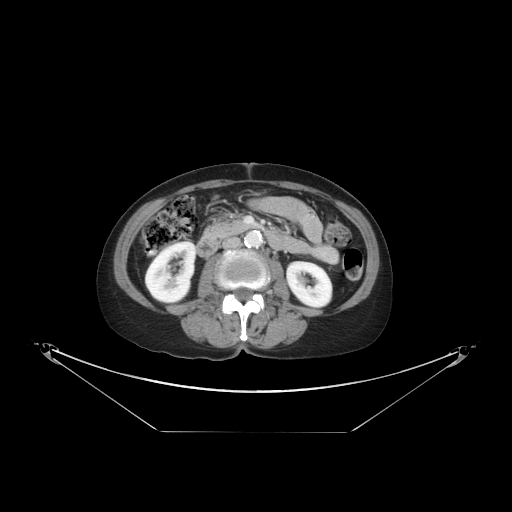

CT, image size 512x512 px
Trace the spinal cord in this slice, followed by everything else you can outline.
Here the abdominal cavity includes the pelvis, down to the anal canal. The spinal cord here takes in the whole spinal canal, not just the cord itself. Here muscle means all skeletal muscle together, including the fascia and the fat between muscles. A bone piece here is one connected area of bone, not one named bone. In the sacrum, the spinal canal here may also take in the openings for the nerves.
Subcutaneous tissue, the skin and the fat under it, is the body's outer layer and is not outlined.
spinal cord: 239,287 244,287 245,288 248,288 249,289 251,289 252,290 253,290 254,291 254,292 251,296 251,298 248,300 246,300 244,302 242,302 238,299 237,299 234,295 234,294 232,292 232,291
bones: 235,249 259,253 266,259 270,273 270,281 259,291 263,297 264,308 257,313 249,314 245,329 247,339 244,341 240,339 239,314 236,311 229,314 222,312 222,301 226,291 216,282 215,277 217,260 224,251 with a hole at 239,287 244,287 245,288 248,288 249,289 251,289 252,290 253,290 254,291 254,292 251,296 251,298 248,300 246,300 244,302 242,302 238,299 237,299 234,295 234,294 232,292 232,291
abdominal cavity: 244,183 267,184 319,196 357,228 366,251 365,271 361,283 348,298 331,307 294,303 290,301 281,262 247,248 226,249 209,257 199,274 196,297 192,299 156,303 135,285 128,273 130,248 154,213 180,194
muscle: 249,178 252,178 253,179 263,179 264,180 281,180 282,181 291,181 292,182 300,183 321,190 329,194 332,197 338,200 340,200 348,205 357,208 365,216 371,225 371,227 375,234 375,237 378,244 378,249 379,250 379,269 378,270 378,273 375,282 372,287 372,289 366,298 354,306 345,309 336,314 330,316 315,316 312,317 310,319 308,327 303,335 299,339 288,345 286,345 280,348 275,348 274,349 260,349 259,348 256,348 249,343 245,343 244,342 237,343 233,347 229,347 228,348 218,348 217,347 212,347 211,346 203,345 200,343 197,343 187,337 183,332 178,321 178,319 175,316 171,314 161,314 160,313 157,313 148,309 131,298 117,284 113,273 113,256 114,255 115,247 118,238 125,224 137,209 144,203 168,195 178,189 195,183 199,183 200,182 212,180 213,179 233,179 234,180 237,180 238,179 248,179; inner edge: 244,183 331,203 359,231 366,263 348,298 310,307 290,301 284,268 268,257 264,308 249,314 243,341 239,314 221,309 220,255 203,264 196,297 175,303 147,297 130,278 128,256 140,229 176,196
torso: 239,161 282,163 313,171 348,190 372,213 388,245 394,287 388,321 371,344 326,358 277,360 241,351 233,358 219,361 183,359 141,348 108,326 98,307 95,274 103,244 120,215 143,193 175,175 206,165